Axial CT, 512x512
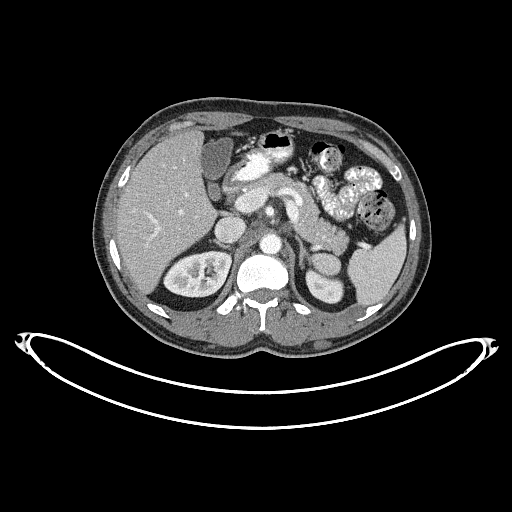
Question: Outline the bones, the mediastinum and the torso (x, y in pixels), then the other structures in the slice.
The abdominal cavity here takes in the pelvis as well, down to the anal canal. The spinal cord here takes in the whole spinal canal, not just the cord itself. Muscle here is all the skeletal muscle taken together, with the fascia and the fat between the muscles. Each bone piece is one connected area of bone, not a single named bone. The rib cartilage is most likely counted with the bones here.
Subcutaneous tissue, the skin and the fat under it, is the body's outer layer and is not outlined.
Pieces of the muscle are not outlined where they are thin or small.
Answer: {"bones":[{"outer":[[261,331],[265,327],[266,311],[278,305],[278,293],[287,284],[288,273],[286,266],[280,259],[259,253],[252,254],[241,263],[236,275],[238,289],[217,307],[216,312],[223,315],[228,313],[241,299],[243,311],[248,308],[254,308],[258,311]],"hole":[[260,302],[265,302],[266,301],[267,301],[268,300],[271,299],[274,296],[274,294],[271,291],[270,291],[267,289],[260,289],[259,290],[257,290],[256,291],[254,291],[253,292],[252,292],[251,293],[251,296],[254,299],[255,299],[256,300],[257,300]]},[[397,182],[399,182],[402,178],[402,175],[401,174],[401,172],[399,168],[396,165],[395,165],[378,148],[375,147],[368,142],[365,142],[365,144],[368,150],[380,160],[380,161],[385,166],[385,167],[388,170],[388,171],[394,177],[395,180]],[[118,270],[121,270],[121,266],[120,265],[120,260],[119,259],[119,255],[117,251],[117,248],[115,244],[115,240],[112,238],[110,239],[110,241],[109,242],[109,251],[110,252],[110,254],[111,255],[112,260],[115,266]],[[357,321],[361,321],[367,318],[369,316],[372,315],[374,313],[377,312],[382,307],[383,305],[383,303],[379,303],[376,305],[374,305],[373,306],[371,306],[367,308],[365,310],[365,312],[364,314],[362,316],[360,317],[358,317],[356,319]],[[165,318],[169,318],[169,316],[166,313],[166,312],[162,308],[162,307],[160,305],[159,305],[158,304],[156,304],[155,303],[148,303],[147,304],[147,307],[152,312],[153,312],[154,313],[155,313],[156,314],[157,314],[160,316],[162,316]],[[119,188],[121,188],[122,187],[124,187],[124,186],[125,185],[125,184],[129,177],[129,175],[130,174],[130,172],[131,171],[131,167],[129,165],[126,167],[126,168],[124,170],[123,173],[121,175],[121,176],[119,179],[119,181],[117,184],[117,186]],[[411,242],[412,242],[415,239],[415,223],[414,222],[414,220],[413,219],[410,219],[409,220],[409,240]],[[302,314],[309,314],[311,312],[311,311],[307,307],[306,307],[305,306],[304,306],[303,305],[302,305],[301,304],[299,304],[298,303],[294,303],[293,304],[293,306],[295,308],[295,309],[299,313],[301,313]],[[169,129],[175,129],[176,128],[179,128],[180,127],[183,127],[184,126],[186,126],[187,125],[190,124],[192,122],[193,122],[190,120],[188,120],[187,121],[181,121],[180,122],[177,122],[176,123],[174,123],[173,124],[171,124],[169,127]]],"mediastinum":[[[234,273],[236,272],[240,263],[247,256],[252,253],[258,253],[259,252],[269,255],[273,255],[278,258],[280,258],[287,266],[288,272],[290,272],[290,264],[288,259],[287,247],[283,241],[275,234],[267,233],[262,236],[240,259],[236,266]]],"torso":[[[225,358],[242,357],[257,351],[284,357],[331,353],[385,328],[412,302],[431,257],[429,211],[411,162],[377,123],[349,110],[324,104],[211,96],[184,100],[158,110],[119,148],[101,182],[92,222],[94,256],[108,291],[132,321],[159,341],[191,353]]],"spinal_cord":[[[260,302],[265,302],[266,301],[267,301],[268,300],[271,299],[274,296],[274,294],[271,291],[270,291],[267,289],[260,289],[259,290],[257,290],[256,291],[254,291],[253,292],[252,292],[251,293],[251,296],[254,299],[255,299],[256,300],[257,300]]],"muscle":[{"outer":[[224,347],[236,347],[244,345],[261,333],[268,336],[274,342],[284,346],[297,345],[306,341],[318,339],[335,338],[345,336],[368,325],[376,319],[383,316],[405,294],[413,279],[418,261],[418,254],[421,240],[421,221],[419,214],[419,206],[413,189],[413,186],[405,169],[393,151],[381,139],[367,131],[347,122],[327,117],[294,116],[293,115],[276,116],[275,117],[261,117],[247,113],[233,112],[232,111],[194,111],[188,112],[167,120],[152,128],[143,135],[130,148],[123,158],[113,177],[103,206],[103,213],[102,214],[103,238],[105,243],[106,255],[112,276],[121,292],[129,301],[146,316],[167,330],[182,337],[189,338],[193,340],[200,340],[215,343]],"holes":[[[261,331],[265,327],[266,311],[278,305],[278,293],[287,284],[289,272],[296,294],[319,311],[336,313],[351,306],[368,306],[356,319],[361,321],[382,307],[383,303],[379,302],[397,281],[409,242],[415,239],[415,223],[407,219],[397,183],[402,178],[401,172],[378,148],[365,144],[385,166],[383,168],[343,139],[255,119],[227,129],[191,130],[164,139],[147,149],[132,169],[129,165],[124,170],[117,184],[124,191],[117,208],[116,239],[110,239],[109,251],[117,269],[121,270],[121,259],[131,281],[152,302],[147,307],[165,318],[169,316],[163,306],[193,311],[203,308],[216,300],[236,272],[238,289],[216,312],[228,313],[241,299],[243,311],[248,308],[258,311]],[[302,314],[309,314],[311,312],[311,311],[307,307],[306,307],[305,306],[304,306],[303,305],[302,305],[301,304],[299,304],[298,303],[294,303],[293,304],[293,306],[295,308],[295,309],[299,313],[301,313]],[[169,129],[175,129],[176,128],[179,128],[180,127],[183,127],[184,126],[186,126],[187,125],[190,124],[192,122],[193,122],[190,120],[188,120],[187,121],[181,121],[180,122],[177,122],[176,123],[174,123],[173,124],[171,124],[169,127]]]}],"abdominal_cavity":[[[329,313],[378,303],[403,269],[409,245],[407,213],[399,185],[387,170],[343,139],[261,119],[227,129],[191,130],[146,150],[120,197],[115,226],[123,265],[143,295],[178,310],[210,305],[225,290],[239,259],[262,235],[273,232],[288,247],[296,294]]]}